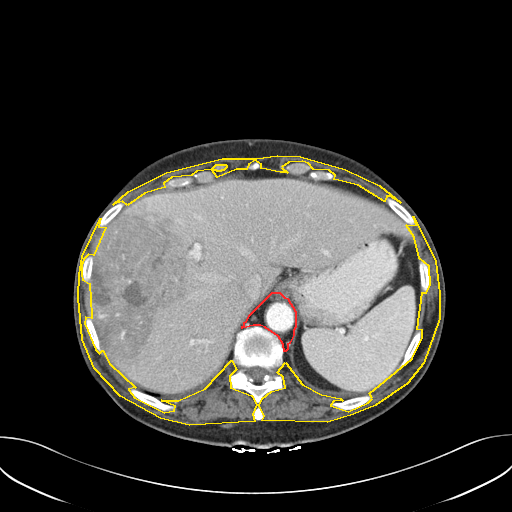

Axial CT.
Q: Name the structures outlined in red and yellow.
A: red: mediastinum; yellow: muscle.
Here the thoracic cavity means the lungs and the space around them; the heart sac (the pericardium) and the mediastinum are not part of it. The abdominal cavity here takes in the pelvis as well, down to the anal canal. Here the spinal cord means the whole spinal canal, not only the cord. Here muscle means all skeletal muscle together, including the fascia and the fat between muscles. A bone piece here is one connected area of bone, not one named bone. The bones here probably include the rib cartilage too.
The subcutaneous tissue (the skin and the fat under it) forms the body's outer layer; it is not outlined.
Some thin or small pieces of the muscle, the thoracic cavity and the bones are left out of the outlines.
{"mediastinum":[[[272,292],[279,292],[284,297],[287,298],[295,311],[295,327],[293,330],[293,335],[289,343],[287,344],[287,349],[285,351],[284,351],[283,344],[278,336],[265,327],[260,325],[253,325],[242,328],[242,326],[244,325],[244,322],[246,321],[250,314]]],"muscle":[[[413,216],[435,261],[439,293],[439,318],[423,363],[407,383],[375,405],[353,414],[327,422],[262,420],[264,416],[259,405],[262,398],[271,391],[285,387],[283,377],[277,372],[285,362],[302,384],[321,394],[340,398],[342,400],[333,401],[330,405],[348,411],[368,402],[372,398],[369,393],[412,358],[422,337],[422,330],[417,329],[422,292],[426,292],[430,285],[429,266],[419,258],[414,237],[406,225],[416,224]],[[100,218],[98,226],[105,227],[93,255],[88,254],[83,259],[81,265],[81,275],[82,279],[89,283],[91,315],[91,318],[85,317],[84,323],[95,349],[99,353],[102,350],[109,363],[135,387],[128,389],[134,397],[164,412],[174,410],[175,406],[161,400],[178,400],[205,388],[231,360],[236,369],[229,376],[230,387],[251,395],[256,404],[252,414],[254,421],[189,425],[160,418],[120,396],[94,368],[82,339],[78,297],[79,274],[82,256]],{"outer":[[277,155],[300,156],[345,169],[379,185],[400,202],[390,196],[386,196],[384,201],[358,185],[334,179],[335,175],[329,170],[313,169],[308,163],[302,161],[288,162],[281,167],[287,172],[280,172],[261,168],[261,164],[255,160],[248,164],[246,169],[236,169],[217,177],[211,169],[196,171],[191,175],[171,177],[163,183],[164,187],[144,193],[127,205],[122,201],[113,204],[128,191],[166,172],[222,158],[256,158]],"hole":[[216,164],[225,164],[226,165],[226,167],[223,170],[221,170],[220,171],[217,171],[216,170],[214,170],[213,169],[213,167]]}],"thoracic_cavity":[[[150,394],[151,394],[152,394],[153,394],[154,394],[155,394],[156,395],[157,395],[158,396],[158,397],[159,398],[158,398],[157,397],[156,396],[155,396],[154,396],[153,395],[152,395],[151,394]]],"bones":[{"outer":[[253,326],[263,327],[273,333],[283,347],[284,363],[276,372],[282,377],[284,387],[271,390],[261,398],[258,404],[263,416],[261,420],[253,418],[257,404],[252,395],[243,389],[233,389],[230,380],[230,376],[237,369],[232,362],[236,335],[242,329]],"hole":[[254,366],[258,366],[259,367],[264,368],[267,371],[267,372],[263,376],[263,377],[262,378],[262,381],[260,383],[256,383],[255,382],[254,382],[254,380],[250,376],[249,376],[249,375],[247,373],[247,370],[249,368],[250,368],[251,367],[253,367]]},[[292,162],[302,162],[303,163],[308,164],[313,170],[322,170],[323,171],[329,171],[334,175],[334,178],[332,180],[320,180],[319,179],[313,179],[309,177],[306,173],[304,174],[292,174],[291,173],[289,173],[283,167],[282,167],[288,163],[291,163]],[[203,170],[211,170],[213,171],[214,173],[214,178],[210,181],[201,182],[200,183],[196,181],[194,181],[189,185],[185,185],[180,187],[165,187],[164,186],[164,183],[167,180],[171,178],[175,178],[176,177],[180,177],[181,176],[191,176],[192,174]],[[132,387],[133,388],[136,388],[143,392],[145,392],[154,397],[156,397],[165,403],[173,405],[174,406],[174,409],[170,410],[169,411],[164,411],[163,410],[158,409],[153,406],[151,406],[148,404],[144,403],[135,396],[134,396],[129,391],[129,389]],[[364,394],[369,394],[371,395],[371,398],[365,403],[357,407],[355,407],[352,409],[349,409],[348,410],[342,410],[337,407],[335,407],[331,405],[331,403],[333,402],[342,401],[346,399],[353,398],[354,397],[356,397],[360,395],[363,395]],[[386,197],[390,197],[391,198],[394,199],[399,203],[400,203],[410,213],[410,214],[412,216],[412,217],[415,221],[415,224],[414,225],[409,225],[408,224],[406,224],[405,223],[405,222],[390,207],[390,206],[386,202],[386,201],[385,200]],[[417,330],[421,330],[421,337],[420,338],[420,341],[419,342],[419,344],[415,352],[413,354],[411,358],[407,362],[407,363],[404,366],[399,368],[398,366],[402,361],[404,357],[404,355],[406,352],[406,350],[408,348],[408,346],[415,332]],[[118,202],[122,202],[124,204],[123,207],[116,214],[116,215],[106,225],[105,225],[103,227],[100,227],[99,226],[99,222],[100,221],[100,220],[101,219],[101,218],[102,217],[103,214],[110,207],[111,207],[113,205],[114,205],[116,203],[117,203]],[[420,260],[424,260],[426,262],[426,263],[427,264],[427,265],[428,266],[428,268],[429,269],[429,285],[428,286],[428,288],[427,289],[427,290],[426,291],[422,291],[422,289],[421,288],[421,285],[420,284],[420,272],[419,271],[419,262],[420,261]],[[86,317],[89,317],[91,319],[93,323],[93,325],[95,328],[95,331],[97,334],[97,337],[99,340],[99,343],[100,344],[100,347],[101,348],[101,352],[99,352],[96,349],[94,344],[90,339],[89,334],[87,331],[87,327],[85,323],[85,319]],[[88,255],[91,255],[93,257],[93,261],[92,262],[92,269],[91,270],[91,277],[90,278],[90,279],[89,280],[89,282],[85,282],[84,281],[84,280],[83,279],[83,276],[82,275],[82,265],[83,264],[83,261],[84,260],[84,259]]],"spinal_cord":[[[254,366],[258,366],[259,367],[264,368],[267,371],[267,372],[263,376],[263,377],[262,378],[262,381],[260,383],[256,383],[255,382],[254,382],[254,380],[250,376],[249,376],[249,375],[247,373],[247,370],[249,368],[250,368],[251,367],[253,367]]],"torso":[[[238,138],[302,142],[339,152],[369,167],[421,218],[441,262],[446,289],[445,317],[427,371],[385,413],[331,438],[293,447],[254,449],[170,436],[122,411],[93,379],[78,347],[72,307],[74,272],[81,245],[100,211],[128,180],[158,158],[196,144]]],"abdominal_cavity":[[[259,169],[353,184],[385,202],[407,226],[419,259],[421,299],[401,361],[368,393],[342,399],[311,389],[284,359],[296,311],[272,291],[243,322],[231,359],[211,383],[178,399],[137,388],[106,357],[92,320],[89,292],[98,240],[124,206],[144,194]]]}